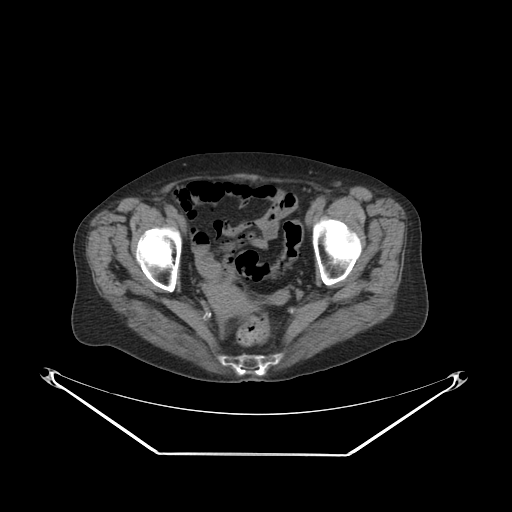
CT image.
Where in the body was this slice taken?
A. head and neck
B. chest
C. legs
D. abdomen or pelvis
Answer: D. abdomen or pelvis
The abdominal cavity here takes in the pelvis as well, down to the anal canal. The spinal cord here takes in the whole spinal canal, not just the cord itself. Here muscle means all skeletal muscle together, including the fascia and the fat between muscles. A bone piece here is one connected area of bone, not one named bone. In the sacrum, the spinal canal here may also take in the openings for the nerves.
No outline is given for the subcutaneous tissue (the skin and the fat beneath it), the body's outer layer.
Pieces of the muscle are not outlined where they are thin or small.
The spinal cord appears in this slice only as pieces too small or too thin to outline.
{"torso":[[[215,151],[270,151],[304,156],[367,173],[405,195],[415,206],[421,221],[422,262],[429,310],[420,332],[347,363],[274,382],[197,380],[150,365],[111,346],[79,342],[73,335],[70,317],[76,285],[72,245],[80,221],[111,193],[143,173],[178,157]]],"bones":[[[322,218],[337,219],[345,223],[357,234],[360,239],[362,246],[360,255],[356,260],[352,269],[348,275],[344,279],[338,281],[331,285],[326,285],[324,284],[321,279],[319,269],[314,254],[313,246],[312,245],[312,227],[313,225],[316,224],[318,221]],[[164,226],[176,227],[180,231],[180,235],[182,238],[181,255],[180,256],[178,273],[176,279],[176,284],[175,288],[172,292],[169,292],[164,289],[162,289],[152,283],[144,274],[135,257],[137,242],[144,231],[150,228],[163,227]],[[278,352],[282,353],[282,357],[280,361],[275,365],[270,365],[266,369],[264,375],[257,375],[253,373],[246,373],[242,375],[238,375],[231,366],[222,365],[217,358],[218,355],[223,355],[224,354],[230,356],[238,355],[243,353],[264,354],[266,355]]],"abdominal_cavity":[[[196,179],[298,183],[322,192],[330,200],[322,215],[311,227],[311,245],[315,259],[313,289],[295,306],[282,327],[278,345],[269,353],[226,352],[216,337],[213,322],[201,307],[182,291],[181,231],[177,223],[163,216],[155,204],[177,184]]],"muscle":[[[233,173],[302,179],[330,189],[362,185],[399,203],[407,234],[393,312],[265,375],[283,357],[270,353],[285,323],[314,289],[315,262],[324,285],[340,282],[361,255],[361,239],[345,222],[320,218],[331,200],[322,191],[307,184],[249,179],[196,178],[177,183],[154,204],[179,229],[145,229],[134,257],[146,278],[169,293],[180,269],[181,291],[233,355],[218,354],[217,360],[237,375],[204,369],[132,330],[94,286],[85,257],[90,217],[174,180]]]}